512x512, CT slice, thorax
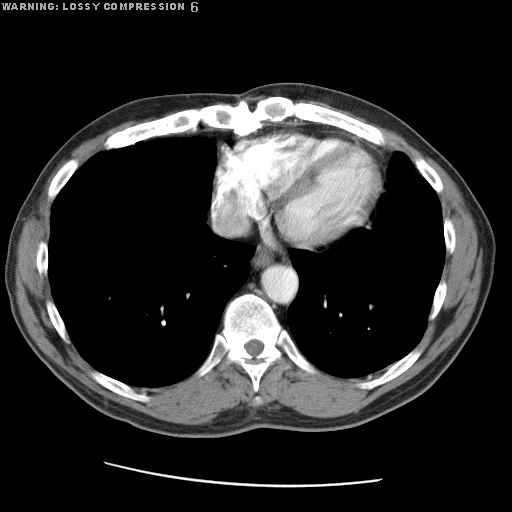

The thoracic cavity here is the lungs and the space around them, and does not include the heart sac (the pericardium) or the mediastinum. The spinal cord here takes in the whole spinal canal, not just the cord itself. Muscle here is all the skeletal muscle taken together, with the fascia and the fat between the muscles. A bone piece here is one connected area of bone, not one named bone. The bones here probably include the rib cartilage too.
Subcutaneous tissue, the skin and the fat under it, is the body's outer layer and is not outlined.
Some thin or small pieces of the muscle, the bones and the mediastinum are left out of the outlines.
The muscle appears in 2 outlined pieces: piece 1: (292, 99) (325, 102) (394, 131) (435, 161) (455, 182) (473, 217) (477, 244) (482, 249) (479, 294) (461, 334) (407, 381) (357, 412) (335, 417) (314, 417) (283, 406) (277, 410) (231, 408) (210, 422) (175, 423) (104, 398) (52, 361) (28, 333) (16, 301) (16, 250) (24, 222) (36, 207) (48, 177) (81, 143) (126, 121) (178, 109) (113, 132) (101, 150) (79, 166) (76, 158) (68, 159) (47, 188) (47, 200) (52, 203) (49, 237) (47, 242) (39, 241) (35, 254) (38, 274) (47, 277) (50, 286) (52, 300) (45, 301) (45, 308) (60, 338) (66, 344) (71, 341) (95, 369) (90, 376) (120, 396) (148, 403) (152, 397) (133, 387) (156, 389) (193, 374) (199, 378) (221, 362) (224, 366) (241, 366) (256, 394) (264, 373) (283, 354) (311, 375) (318, 375) (320, 370) (351, 379) (378, 373) (354, 384) (363, 390) (393, 380) (420, 357) (424, 348) (416, 346) (428, 321) (439, 313) (447, 293) (447, 282) (441, 278) (445, 253) (452, 254) (456, 246) (454, 224) (448, 216) (443, 218) (438, 197) (443, 182) (424, 158) (412, 161) (394, 150) (394, 144) (378, 127) (339, 110), around a hole outlined by (255, 395) (258, 395) (261, 398) (261, 400) (262, 401) (262, 402) (261, 403) (261, 404) (260, 404) (259, 405) (254, 405) (253, 404) (253, 400) (254, 399) (254, 397) (255, 396); piece 2: (260, 94) (265, 94) (266, 95) (274, 95) (275, 94) (276, 95) (277, 94) (278, 95) (268, 95) (264, 98) (259, 99) (255, 103) (254, 105) (254, 107) (252, 109) (250, 107) (248, 102) (245, 99) (243, 98) (247, 96) (249, 96) (250, 95) (259, 95). The mediastinum appears in 4 outlined pieces: piece 1: (209, 209) (211, 226) (222, 236) (251, 239) (266, 247) (291, 248) (290, 261) (297, 274) (299, 288) (287, 310) (287, 328) (282, 325) (270, 304) (257, 294) (246, 292) (229, 301) (245, 283) (249, 274) (250, 260) (256, 247) (251, 243) (227, 239) (214, 233) (206, 223); piece 2: (202, 128) (205, 130) (210, 129) (231, 130) (235, 134) (234, 136) (219, 145) (217, 152) (217, 161) (216, 144) (213, 139) (207, 137) (200, 136) (172, 137) (144, 142) (145, 140) (156, 137) (168, 136) (185, 132) (194, 133) (198, 130) (201, 130); piece 3: (287, 119) (290, 120) (291, 119) (295, 122) (307, 121) (308, 122) (319, 123) (320, 124) (324, 124) (325, 125) (337, 127) (351, 134) (353, 134) (357, 137) (340, 131) (313, 128) (312, 127) (303, 126) (302, 125) (290, 123) (289, 122) (280, 122) (282, 122) (284, 120); piece 4: (358, 138) (363, 139) (374, 145) (393, 150) (389, 156) (387, 164) (387, 168) (386, 169) (386, 181) (387, 182) (386, 183) (387, 184) (386, 189) (387, 190) (386, 193) (384, 194) (383, 194) (385, 190) (385, 178) (386, 177) (386, 165) (385, 162) (378, 150) (368, 143). The thoracic cavity appears in 2 outlined pieces: piece 1: (194, 137) (213, 140) (216, 149) (211, 201) (205, 223) (214, 234) (251, 244) (255, 249) (249, 260) (247, 277) (228, 300) (221, 328) (195, 371) (161, 387) (131, 386) (97, 370) (80, 354) (53, 300) (48, 277) (52, 204) (76, 170) (102, 150) (131, 146) (140, 141); piece 2: (394, 151) (405, 154) (437, 194) (445, 249) (440, 279) (426, 327) (411, 350) (388, 365) (382, 373) (351, 378) (335, 376) (307, 359) (285, 328) (289, 327) (289, 307) (300, 288) (290, 250) (316, 253) (341, 242) (352, 231) (366, 228) (382, 196) (387, 193) (387, 169). The spinal cord is outlined by (251, 340) (258, 340) (259, 341) (260, 341) (263, 344) (263, 348) (262, 349) (262, 350) (257, 355) (256, 355) (255, 356) (253, 356) (252, 355) (251, 355) (246, 350) (246, 349) (245, 348) (245, 347) (244, 346) (244, 345) (246, 343) (247, 343) (249, 341) (250, 341). The pericardium is outlined by (264, 122) (289, 123) (340, 132) (355, 137) (378, 151) (385, 165) (384, 190) (365, 226) (356, 228) (339, 240) (314, 251) (289, 246) (266, 246) (251, 238) (225, 236) (214, 229) (210, 219) (210, 207) (212, 182) (220, 145) (236, 135) (245, 136) (255, 132) (264, 126). The bones appear in 10 outlined pieces: piece 1: (268, 96) (283, 96) (344, 113) (378, 128) (394, 149) (374, 144) (337, 126) (294, 116) (279, 122) (264, 121) (263, 126) (245, 135) (200, 124) (194, 132) (187, 130) (102, 149) (110, 135) (142, 122) (189, 108) (218, 103) (233, 106) (242, 99) (252, 110) (259, 100); piece 2: (246, 293) (257, 295) (269, 304) (299, 351) (317, 368) (318, 374) (311, 374) (300, 368) (284, 353) (263, 373) (256, 393) (249, 375) (241, 365) (234, 362) (224, 365) (221, 361) (202, 376) (198, 377) (194, 374) (209, 354) (215, 335) (222, 328) (226, 306) (234, 298); inner edge: (251, 340) (258, 340) (259, 341) (260, 341) (263, 344) (263, 348) (262, 349) (262, 350) (257, 355) (256, 355) (255, 356) (253, 356) (252, 355) (251, 355) (246, 350) (246, 349) (245, 348) (245, 347) (244, 346) (244, 345) (246, 343) (247, 343) (249, 341) (250, 341); piece 3: (415, 347) (423, 348) (423, 350) (419, 357) (406, 370) (393, 379) (387, 382) (385, 382) (380, 385) (378, 385) (371, 389) (363, 389) (355, 385) (355, 384) (357, 383) (359, 383) (363, 381) (367, 381) (378, 377) (387, 369) (387, 367) (388, 366) (401, 359); piece 4: (95, 370) (132, 387) (138, 393) (145, 393) (147, 394) (151, 397) (151, 399) (148, 402) (142, 402) (138, 400) (134, 400) (128, 397) (125, 397) (122, 395) (120, 395) (110, 390) (108, 388) (103, 386) (101, 384) (97, 382) (91, 376) (91, 372); piece 5: (70, 159) (76, 159) (78, 161) (78, 163) (79, 164) (78, 165) (78, 167) (68, 179) (66, 183) (59, 191) (59, 192) (57, 194) (53, 201) (51, 202) (48, 200) (48, 188) (50, 185) (50, 183) (53, 177) (56, 174) (58, 170) (68, 160); piece 6: (415, 158) (422, 158) (424, 159) (426, 161) (426, 162) (435, 170) (435, 171) (439, 176) (442, 182) (442, 184) (443, 185) (443, 189) (440, 193) (438, 194) (435, 191) (435, 190) (432, 187) (432, 186) (416, 168) (416, 166) (413, 161) (413, 160); piece 7: (48, 300) (53, 301) (58, 311) (58, 313) (61, 317) (64, 323) (64, 325) (65, 326) (66, 331) (70, 339) (70, 342) (69, 343) (66, 343) (61, 338) (61, 337) (55, 329) (49, 317) (49, 315) (48, 314) (48, 312) (46, 308) (46, 301); piece 8: (441, 279) (445, 280) (446, 282) (446, 293) (445, 294) (445, 297) (441, 305) (441, 307) (438, 313) (436, 315) (436, 316) (432, 320) (428, 320) (428, 316) (430, 313) (430, 311) (432, 307) (432, 303) (433, 302) (433, 298) (434, 297) (434, 294) (435, 293) (436, 288); piece 9: (40, 241) (44, 241) (47, 243) (47, 255) (48, 256) (48, 260) (47, 261) (47, 276) (45, 276) (44, 275) (41, 276) (39, 274) (39, 272) (38, 271) (38, 269) (37, 268) (37, 264) (36, 263) (36, 254) (37, 253) (37, 249) (38, 248) (38, 244) (40, 242); piece 10: (445, 217) (448, 217) (451, 220) (453, 224) (453, 227) (454, 228) (454, 231) (455, 232) (455, 246) (454, 247) (454, 249) (452, 253) (449, 253) (447, 251) (446, 251) (446, 249) (445, 248) (445, 240) (444, 239) (444, 230) (443, 229) (443, 219). The torso is outlined by (274, 82) (315, 84) (377, 104) (411, 126) (459, 172) (486, 214) (496, 243) (492, 283) (474, 330) (427, 390) (350, 428) (317, 432) (256, 428) (224, 437) (176, 437) (98, 411) (40, 360) (11, 314) (4, 264) (23, 201) (70, 136) (123, 103) (163, 94) (240, 93).